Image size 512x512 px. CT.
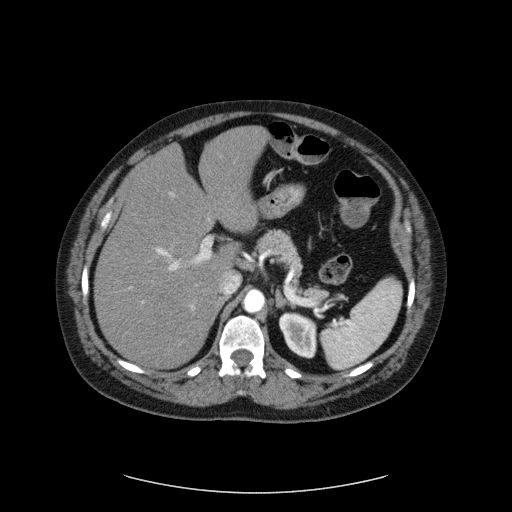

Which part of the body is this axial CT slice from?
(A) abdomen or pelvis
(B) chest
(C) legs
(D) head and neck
(A) abdomen or pelvis
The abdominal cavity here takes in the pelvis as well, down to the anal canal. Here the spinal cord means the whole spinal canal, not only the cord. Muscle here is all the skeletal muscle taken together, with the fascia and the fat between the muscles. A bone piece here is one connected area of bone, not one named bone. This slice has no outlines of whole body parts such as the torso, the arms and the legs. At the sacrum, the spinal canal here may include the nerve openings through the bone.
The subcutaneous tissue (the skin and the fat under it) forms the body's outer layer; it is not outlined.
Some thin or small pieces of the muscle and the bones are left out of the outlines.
{"abdominal_cavity":[[[251,115],[283,118],[338,138],[356,148],[393,190],[389,239],[407,281],[405,318],[396,339],[349,371],[312,374],[279,355],[260,324],[240,313],[225,322],[201,358],[182,369],[155,371],[119,357],[106,346],[93,323],[89,273],[140,168],[172,143]]],"muscle":[{"outer":[[233,111],[284,112],[312,118],[332,126],[369,147],[381,156],[402,177],[403,180],[406,182],[417,198],[418,203],[425,218],[425,225],[428,230],[428,236],[430,239],[430,264],[431,265],[432,285],[429,295],[431,298],[430,299],[430,304],[424,315],[423,324],[416,334],[407,351],[407,355],[404,363],[398,370],[395,371],[389,377],[385,379],[382,379],[377,383],[374,383],[356,393],[351,394],[347,397],[337,398],[312,406],[298,407],[293,409],[276,409],[272,406],[262,405],[254,402],[250,397],[244,396],[245,391],[240,388],[236,391],[236,393],[240,396],[223,403],[200,407],[199,406],[190,406],[175,403],[171,401],[159,399],[148,394],[140,392],[112,376],[106,370],[104,370],[94,362],[85,353],[77,330],[77,324],[74,314],[74,303],[67,291],[68,290],[67,267],[70,260],[71,248],[73,246],[73,243],[78,233],[81,219],[91,198],[108,175],[118,166],[123,164],[139,148],[153,140],[155,140],[160,136],[162,136],[176,128],[181,127],[187,123],[210,115],[218,113],[232,112]],"holes":[[[251,115],[283,118],[336,137],[356,148],[385,178],[394,192],[389,239],[407,282],[412,277],[415,282],[414,299],[403,325],[393,343],[372,359],[373,365],[355,376],[301,371],[301,378],[292,378],[284,369],[299,370],[272,348],[265,331],[264,378],[220,376],[218,334],[201,358],[182,369],[130,371],[116,361],[118,356],[96,331],[88,299],[83,300],[83,267],[87,264],[90,272],[96,251],[143,164],[172,143]],[[111,197],[113,198],[113,203],[110,207],[110,208],[113,211],[113,216],[112,217],[112,219],[109,225],[106,228],[106,229],[104,231],[101,231],[100,229],[100,222],[105,212],[109,208],[108,206],[108,201]],[[404,218],[406,218],[409,221],[409,222],[410,223],[410,225],[411,226],[411,235],[410,236],[411,237],[410,238],[410,241],[409,242],[408,242],[407,241],[407,233],[406,232],[406,231],[405,230],[405,227],[404,226]],[[194,366],[199,366],[200,367],[201,367],[201,370],[196,375],[195,375],[194,376],[188,376],[186,374],[186,372],[187,371],[187,370],[188,369],[189,369],[191,367],[193,367]]]}],"spinal_cord":[[[240,349],[244,349],[245,350],[247,350],[249,351],[252,354],[252,357],[251,359],[248,362],[248,363],[244,366],[240,366],[237,363],[236,363],[235,361],[231,357],[232,355],[232,353],[234,351],[236,350],[239,350]]],"bones":[{"outer":[[240,314],[246,315],[254,319],[259,324],[263,333],[264,338],[263,359],[264,366],[263,367],[265,371],[264,378],[258,375],[253,375],[249,377],[240,377],[236,375],[228,374],[220,376],[218,374],[221,365],[219,356],[219,339],[223,327],[230,318]],"hole":[[240,349],[244,349],[245,350],[247,350],[249,351],[252,354],[252,357],[251,359],[248,362],[248,363],[244,366],[240,366],[237,363],[236,363],[235,361],[231,357],[232,355],[232,353],[234,351],[236,350],[239,350]]},[[111,197],[113,198],[113,203],[110,207],[110,208],[113,211],[113,216],[112,217],[112,219],[109,225],[106,228],[106,229],[104,231],[101,231],[100,229],[100,222],[105,212],[109,208],[108,206],[108,201]],[[85,264],[87,264],[88,265],[88,295],[87,296],[87,298],[86,299],[86,302],[84,302],[84,301],[83,300],[83,296],[82,295],[82,290],[81,289],[81,276],[82,275],[82,271],[83,270],[83,267],[84,266],[84,265]],[[412,277],[414,279],[414,281],[415,282],[415,293],[414,294],[414,299],[411,305],[411,307],[409,311],[407,311],[407,308],[406,307],[406,302],[407,301],[407,294],[408,293],[408,283],[409,282],[409,280],[410,278]],[[118,357],[119,358],[121,358],[128,362],[130,362],[133,364],[135,364],[137,366],[138,366],[139,367],[144,369],[146,371],[146,373],[138,373],[137,372],[133,372],[132,371],[130,371],[129,370],[124,368],[121,365],[120,365],[116,361],[116,359]],[[370,360],[372,360],[372,361],[373,362],[373,365],[370,368],[369,368],[364,372],[363,372],[358,375],[356,375],[355,376],[348,376],[347,377],[345,377],[344,376],[343,376],[346,373],[348,373],[352,369],[353,369],[354,368],[355,368]],[[287,367],[288,367],[289,368],[291,368],[292,369],[294,369],[295,370],[296,370],[297,371],[299,371],[302,374],[302,377],[301,378],[292,378],[291,377],[290,377],[288,375],[287,375],[284,372],[284,369],[285,368],[286,368]],[[404,218],[406,218],[409,221],[409,222],[410,223],[410,225],[411,226],[411,235],[410,236],[411,237],[410,238],[410,241],[409,242],[408,242],[407,241],[407,233],[406,232],[406,231],[405,230],[405,227],[404,226]]]}